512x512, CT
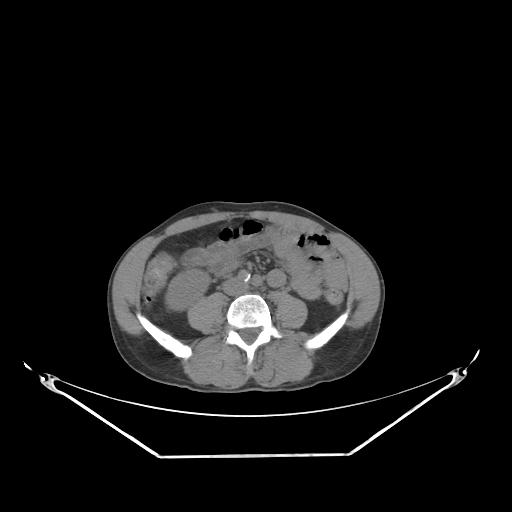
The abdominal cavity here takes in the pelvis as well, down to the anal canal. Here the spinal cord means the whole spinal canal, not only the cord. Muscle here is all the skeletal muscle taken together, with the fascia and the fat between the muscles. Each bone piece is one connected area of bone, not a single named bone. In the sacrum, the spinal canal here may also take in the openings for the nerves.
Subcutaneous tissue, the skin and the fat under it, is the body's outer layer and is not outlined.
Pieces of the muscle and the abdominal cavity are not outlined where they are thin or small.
The torso is outlined by 213,200 235,202 277,200 297,204 343,229 370,252 383,275 385,302 375,344 357,369 343,378 291,392 250,390 239,393 208,394 149,380 122,359 111,336 106,309 107,283 114,264 133,241 172,214 190,205. The abdominal cavity is outlined by 245,216 324,232 345,259 349,283 343,311 321,329 299,330 308,317 303,300 274,292 274,325 266,299 245,292 229,303 225,320 226,296 215,291 186,312 201,336 177,337 151,321 140,291 154,249 170,236. The muscle is outlined by 255,210 307,217 353,241 377,273 377,309 369,325 352,331 346,328 336,335 317,354 314,368 301,381 264,386 251,378 235,388 194,383 174,356 187,360 193,354 192,348 177,338 203,335 187,317 188,309 202,297 215,292 225,296 224,343 244,351 247,366 260,346 285,335 275,326 277,309 272,296 277,291 305,303 307,317 299,331 321,330 303,342 307,350 325,345 342,328 351,311 346,307 350,283 345,256 324,231 245,215 170,235 147,257 139,291 144,314 137,311 135,316 159,345 120,329 113,309 112,285 119,265 135,245 182,218 214,211. The spinal cord is outlined by 256,327 259,327 260,328 260,331 259,332 259,333 257,335 256,338 250,344 248,344 246,342 245,342 244,341 244,340 241,337 241,336 239,334 239,332 238,331 240,329 243,329 244,328 255,328. The bones appear in 3 outlined pieces: piece 1: 245,293 257,293 265,299 270,309 271,320 273,325 284,335 279,338 272,337 268,342 260,345 254,352 253,359 250,365 247,365 247,356 244,350 235,344 225,343 226,326 227,325 225,315 228,306 236,297 with a hole at 256,327 259,327 260,328 260,331 259,332 259,333 257,335 256,338 250,344 248,344 246,342 245,342 244,341 244,340 241,337 241,336 239,334 239,332 238,331 240,329 243,329 244,328 255,328; piece 2: 137,312 139,312 144,315 151,322 165,332 170,334 175,338 178,339 182,343 188,345 192,350 192,354 191,356 187,359 184,359 180,357 177,357 170,351 167,350 160,345 142,326 136,316 136,313; piece 3: 347,307 349,307 350,308 350,311 348,314 348,316 344,324 341,327 341,328 325,344 315,349 307,349 305,348 304,346 304,342 307,339 311,338 315,334 321,331 326,326 332,322 342,312 343,312.